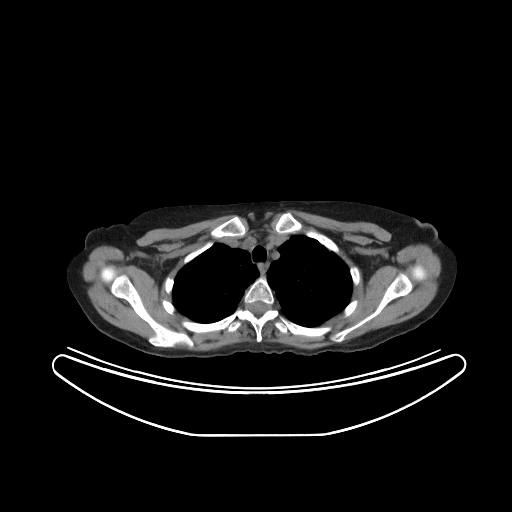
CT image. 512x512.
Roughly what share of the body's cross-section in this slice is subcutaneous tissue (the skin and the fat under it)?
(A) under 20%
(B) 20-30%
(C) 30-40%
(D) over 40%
Answer: (B) 20-30%
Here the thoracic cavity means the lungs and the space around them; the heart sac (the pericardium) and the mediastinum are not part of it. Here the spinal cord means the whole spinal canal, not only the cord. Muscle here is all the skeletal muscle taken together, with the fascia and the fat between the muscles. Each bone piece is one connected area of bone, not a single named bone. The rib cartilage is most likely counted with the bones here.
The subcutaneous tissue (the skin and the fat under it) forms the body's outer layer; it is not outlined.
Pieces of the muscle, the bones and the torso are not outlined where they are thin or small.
Outlines (x, y in pixels):
bones 1: (261, 276) (266, 278) (282, 315) (305, 327) (331, 326) (328, 333) (313, 337) (290, 331) (282, 333) (274, 321) (269, 320) (261, 329) (261, 341) (257, 342) (256, 332) (247, 320) (233, 332) (225, 328) (197, 333) (181, 325) (185, 319) (212, 323) (230, 315) (245, 291), around a hole outlined by (257, 301) (260, 301) (261, 302) (262, 302) (263, 303) (264, 303) (267, 306) (267, 308) (266, 309) (266, 310) (261, 315) (260, 315) (259, 316) (256, 316) (249, 309) (249, 306) (251, 304) (252, 304) (254, 302) (256, 302)
bones 2: (108, 265) (113, 265) (118, 274) (125, 274) (129, 278) (144, 307) (157, 322) (175, 331) (185, 332) (193, 345) (188, 347) (177, 344) (174, 347) (162, 347) (150, 343) (148, 338) (154, 334) (150, 325) (125, 299) (116, 297) (111, 292) (109, 283) (102, 281) (100, 271)
bones 3: (400, 273) (406, 273) (410, 278) (413, 285) (412, 289) (406, 295) (399, 296) (391, 300) (377, 315) (349, 332) (345, 336) (345, 339) (341, 342) (335, 342) (330, 339) (330, 336) (335, 332) (342, 330) (347, 327) (350, 327) (371, 314) (378, 306) (387, 287) (398, 274)
bones 4: (236, 215) (239, 216) (246, 222) (246, 225) (247, 226) (247, 230) (246, 231) (246, 233) (243, 236) (241, 237) (237, 237) (236, 236) (223, 236) (219, 238) (214, 238) (211, 236) (210, 234) (210, 232) (215, 227) (216, 227) (221, 223) (228, 220) (230, 218)
bones 5: (284, 212) (289, 212) (295, 218) (296, 218) (302, 224) (302, 225) (303, 226) (303, 229) (302, 229) (295, 233) (285, 233) (284, 234) (279, 234) (278, 233) (277, 233) (274, 230) (274, 221) (276, 219) (276, 218) (277, 218) (278, 217) (278, 216) (280, 214) (281, 214)
bones 6: (309, 228) (313, 228) (317, 230) (319, 232) (326, 235) (332, 240) (333, 240) (334, 242) (337, 245) (339, 249) (339, 255) (329, 250) (325, 246) (321, 244) (316, 239) (312, 237) (309, 237) (305, 235) (304, 234) (304, 230) (306, 229) (308, 229)
bones 7: (210, 240) (213, 241) (213, 244) (210, 247) (209, 247) (203, 252) (202, 252) (200, 254) (199, 254) (197, 256) (196, 256) (194, 258) (193, 258) (187, 263) (184, 264) (183, 261) (184, 260) (184, 258) (186, 255) (187, 255) (192, 251) (201, 247) (206, 242) (207, 242)
bones 8: (414, 265) (420, 265) (421, 266) (422, 266) (423, 267) (423, 268) (425, 270) (425, 271) (426, 272) (426, 276) (422, 280) (416, 280) (415, 279) (414, 279) (413, 278) (413, 277) (411, 275) (411, 273) (410, 272) (410, 268) (411, 268)
bones 9: (352, 265) (356, 265) (359, 268) (359, 270) (360, 271) (360, 281) (359, 282) (359, 283) (356, 286) (353, 286) (353, 282) (352, 281) (352, 279) (351, 278) (351, 275) (350, 274) (350, 271) (349, 270) (349, 267) (350, 266) (351, 266)
bones 10: (354, 299) (356, 299) (358, 301) (358, 303) (357, 304) (357, 305) (356, 306) (356, 307) (355, 308) (355, 309) (354, 310) (354, 311) (350, 315) (349, 315) (346, 317) (344, 317) (343, 316) (343, 310) (344, 309) (344, 308) (351, 301) (351, 300) (353, 300)
bones 11: (163, 299) (165, 299) (166, 300) (167, 300) (168, 301) (170, 301) (172, 303) (172, 304) (174, 306) (174, 307) (175, 308) (175, 311) (174, 312) (174, 313) (173, 314) (170, 314) (169, 313) (168, 313) (164, 309) (164, 308) (163, 307) (163, 306) (162, 305) (162, 300)
mediastinum: (257, 230) (265, 230) (272, 234) (279, 235) (296, 233) (301, 234) (291, 235) (278, 247) (279, 257) (271, 262) (266, 272) (266, 277) (262, 275) (259, 276) (259, 271) (256, 266) (251, 263) (247, 251) (240, 248) (233, 248) (220, 242) (230, 237) (241, 238)
right arm: (118, 223) (123, 223) (124, 224) (129, 237) (129, 264) (128, 265) (128, 268) (119, 282) (109, 291) (78, 303) (70, 291) (67, 283) (67, 280) (66, 279) (66, 268) (67, 267) (67, 264) (71, 257) (84, 247) (85, 237) (90, 230) (100, 226) (109, 226)
spinal cord: (257, 301) (260, 301) (261, 302) (262, 302) (263, 303) (264, 303) (267, 306) (267, 308) (266, 309) (266, 310) (261, 315) (260, 315) (259, 316) (256, 316) (249, 309) (249, 306) (251, 304) (252, 304) (254, 302) (256, 302)
thoracic cavity 1: (293, 235) (304, 235) (309, 238) (316, 240) (329, 251) (339, 256) (348, 267) (353, 287) (351, 292) (350, 301) (343, 308) (342, 311) (332, 316) (321, 325) (305, 326) (288, 319) (279, 310) (275, 294) (267, 280) (267, 272) (272, 262) (277, 260) (280, 257) (279, 247)
thoracic cavity 2: (218, 242) (222, 243) (230, 248) (240, 249) (247, 252) (250, 263) (255, 266) (258, 271) (258, 276) (244, 291) (239, 304) (233, 312) (212, 322) (194, 321) (189, 319) (185, 315) (178, 311) (172, 302) (172, 291) (174, 286) (174, 278) (184, 265)
left arm: (410, 215) (420, 221) (428, 222) (432, 224) (436, 228) (439, 236) (451, 246) (456, 255) (456, 258) (457, 259) (457, 273) (456, 274) (456, 278) (452, 290) (443, 304) (431, 300) (415, 291) (407, 283) (401, 270) (401, 267) (398, 260) (398, 241) (402, 229) (408, 217)
muscle: (286, 209) (340, 221) (375, 223) (391, 233) (384, 244) (390, 255) (410, 244) (429, 245) (441, 260) (439, 288) (432, 301) (407, 320) (342, 342) (391, 301) (413, 289) (409, 275) (400, 272) (371, 313) (329, 336) (337, 343) (302, 349) (263, 342) (262, 329) (269, 321) (282, 334) (322, 337) (333, 329) (325, 322) (341, 312) (344, 318) (350, 316) (359, 303) (351, 298) (353, 288) (361, 281) (360, 268) (348, 266) (333, 239) (313, 227) (304, 229) (289, 211) (273, 221) (276, 233) (257, 229) (246, 234) (247, 222) (237, 214) (230, 217) (209, 232) (214, 239) (229, 237) (214, 243) (210, 239) (192, 250) (184, 256) (175, 276) (167, 275) (163, 281) (171, 301) (163, 298) (161, 305) (170, 315) (176, 310) (185, 316) (180, 325) (187, 331) (200, 334) (226, 329) (233, 333) (247, 321) (256, 342) (209, 351) (172, 348) (191, 348) (191, 337) (157, 321) (130, 278) (118, 273) (113, 264) (100, 269) (101, 281) (109, 284) (116, 298) (130, 305) (153, 334) (147, 339) (109, 323) (88, 298) (88, 284) (81, 271) (97, 246) (111, 245) (125, 253) (155, 228) (181, 227) (228, 214) with a hole at (414, 265) (420, 265) (421, 266) (422, 266) (423, 267) (423, 268) (425, 270) (425, 271) (426, 272) (426, 276) (422, 280) (416, 280) (415, 279) (414, 279) (413, 278) (413, 277) (411, 275) (411, 273) (410, 272) (410, 268) (411, 268)
torso: (266, 200) (345, 200) (409, 215) (397, 241) (400, 270) (415, 292) (443, 305) (417, 328) (373, 348) (349, 353) (329, 351) (304, 356) (289, 352) (237, 352) (210, 358) (167, 358) (108, 337) (79, 306) (109, 292) (126, 274) (130, 237) (125, 224) (140, 213) (173, 205)